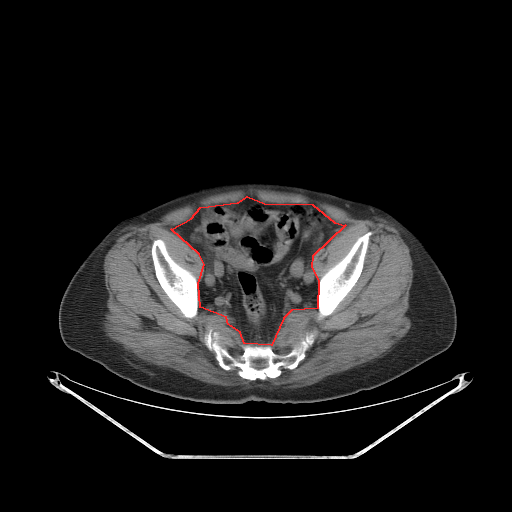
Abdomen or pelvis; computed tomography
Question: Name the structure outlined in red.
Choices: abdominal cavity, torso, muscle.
Answer: red: abdominal cavity.
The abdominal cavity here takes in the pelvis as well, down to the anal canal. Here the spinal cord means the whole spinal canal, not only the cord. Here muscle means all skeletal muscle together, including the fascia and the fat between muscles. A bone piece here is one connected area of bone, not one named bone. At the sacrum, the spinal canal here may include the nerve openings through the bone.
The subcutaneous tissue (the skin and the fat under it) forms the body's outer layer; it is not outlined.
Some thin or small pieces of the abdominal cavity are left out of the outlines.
The abdominal cavity is outlined by [[247,196],[264,203],[312,204],[334,222],[345,225],[312,256],[311,266],[318,281],[317,308],[291,310],[283,318],[271,345],[244,343],[240,332],[228,324],[226,317],[200,307],[198,283],[204,264],[199,254],[171,229],[191,218],[200,207],[238,202]]. The bones appear in 3 outlined pieces: piece 1: [[209,329],[219,334],[219,343],[234,356],[242,353],[241,344],[269,344],[274,352],[286,354],[306,334],[312,332],[315,338],[305,357],[293,369],[281,367],[277,377],[249,380],[238,374],[237,367],[225,370],[219,365],[215,353],[204,342],[204,335]]; inner edge: [[261,364],[264,364],[266,366],[265,367],[263,367],[262,368],[260,368],[259,369],[258,369],[257,368],[256,368],[255,367],[254,367],[253,366],[254,365],[260,365]]; piece 2: [[368,231],[371,231],[372,234],[369,237],[368,246],[363,263],[363,268],[357,281],[349,292],[337,305],[331,314],[321,319],[318,319],[317,318],[318,315],[317,297],[318,296],[318,285],[320,278],[330,268],[340,261],[348,253],[353,244],[360,236]]; piece 3: [[156,239],[161,239],[164,242],[166,249],[171,258],[180,266],[188,270],[196,279],[197,290],[198,291],[198,309],[197,310],[197,314],[194,317],[187,318],[184,316],[179,308],[168,297],[162,289],[155,275],[155,270],[151,255],[151,247],[153,241]]. The spinal cord is outlined by [[261,364],[264,364],[266,366],[265,367],[263,367],[262,368],[260,368],[259,369],[258,369],[257,368],[256,368],[255,367],[254,367],[253,366],[254,365],[260,365]]. The torso is outlined by [[226,175],[264,175],[301,184],[374,205],[395,217],[421,240],[449,285],[457,316],[452,344],[403,375],[369,390],[310,403],[251,400],[237,404],[204,403],[154,392],[68,348],[59,333],[59,305],[71,277],[90,251],[125,217],[145,211],[206,180]]. The muscle is outlined by [[250,188],[301,194],[312,199],[315,199],[337,206],[345,210],[357,219],[367,219],[369,217],[380,217],[383,218],[392,224],[399,231],[401,237],[409,248],[412,260],[413,278],[412,279],[412,284],[409,291],[409,306],[406,312],[406,315],[410,319],[411,326],[407,333],[394,344],[388,352],[381,357],[375,358],[371,361],[365,362],[344,371],[332,374],[315,383],[301,387],[291,388],[290,387],[285,387],[286,386],[285,385],[276,386],[267,381],[257,381],[256,382],[257,383],[251,382],[250,386],[246,385],[225,386],[224,385],[218,385],[217,384],[211,384],[203,382],[200,380],[190,377],[183,373],[181,373],[174,369],[154,364],[150,364],[136,357],[131,352],[126,350],[121,344],[112,340],[106,335],[103,329],[103,320],[105,313],[107,310],[106,303],[108,298],[108,293],[106,290],[104,283],[103,262],[105,255],[116,241],[118,232],[123,228],[131,225],[138,224],[145,221],[158,219],[171,210],[181,207],[186,204],[195,202],[206,196],[222,192],[228,192],[233,190],[247,190]]; inner edge: [[247,196],[312,204],[345,225],[312,256],[318,281],[372,232],[362,271],[331,314],[318,319],[316,307],[298,307],[283,318],[271,343],[276,353],[288,353],[311,332],[314,342],[296,367],[281,367],[280,375],[265,380],[219,365],[205,333],[217,332],[234,356],[242,353],[244,338],[226,317],[202,309],[199,297],[197,314],[185,317],[162,289],[151,255],[153,241],[161,239],[198,283],[202,259],[171,229],[200,207]].